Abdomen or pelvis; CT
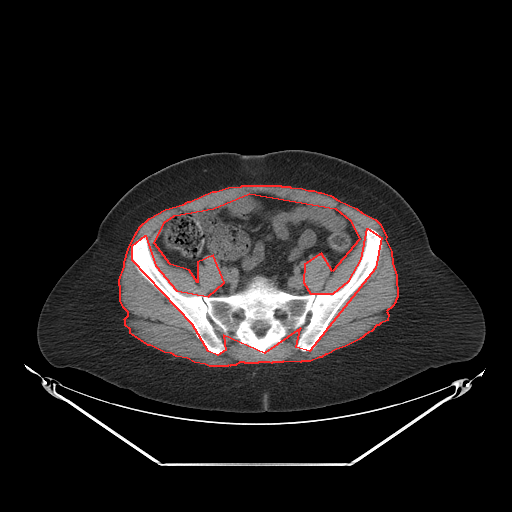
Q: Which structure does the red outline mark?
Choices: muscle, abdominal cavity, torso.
A: red: muscle.
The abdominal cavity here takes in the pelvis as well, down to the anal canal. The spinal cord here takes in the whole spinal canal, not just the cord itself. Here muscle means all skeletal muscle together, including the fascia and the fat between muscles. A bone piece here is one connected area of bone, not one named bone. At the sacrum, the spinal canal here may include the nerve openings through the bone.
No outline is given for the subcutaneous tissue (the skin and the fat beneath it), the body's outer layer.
{"muscle":[{"outer":[[242,185],[280,185],[281,186],[289,186],[290,187],[302,188],[308,190],[314,190],[318,192],[321,192],[330,195],[338,200],[356,208],[361,212],[375,219],[380,224],[386,237],[385,239],[391,251],[392,263],[396,275],[397,297],[395,300],[395,302],[392,306],[386,311],[388,314],[387,320],[380,323],[378,325],[376,325],[371,331],[368,332],[359,339],[345,346],[336,349],[327,354],[325,354],[321,357],[319,357],[310,361],[301,361],[300,362],[283,361],[282,362],[272,362],[271,363],[269,362],[258,362],[257,363],[245,363],[244,362],[239,362],[235,365],[230,365],[229,366],[228,365],[227,366],[209,366],[205,364],[194,362],[187,358],[176,356],[171,353],[164,352],[150,345],[148,345],[130,333],[130,329],[125,325],[125,320],[124,319],[128,315],[128,312],[124,308],[120,301],[120,286],[119,285],[119,280],[124,266],[124,262],[128,249],[135,234],[140,226],[149,218],[165,209],[183,204],[188,201],[190,201],[212,191],[216,191],[228,187],[241,186]],"hole":[[249,193],[335,208],[350,220],[359,239],[332,271],[321,253],[304,264],[303,282],[310,293],[333,293],[349,280],[361,259],[367,228],[381,237],[375,268],[309,351],[296,347],[300,328],[264,353],[223,335],[225,350],[217,355],[208,351],[192,324],[132,260],[132,245],[145,235],[155,265],[176,290],[208,296],[224,282],[213,255],[197,262],[197,282],[189,270],[170,264],[154,243],[164,222],[174,215],[213,208]]}],"bones":[{"outer":[[367,228],[381,237],[377,264],[309,351],[296,347],[300,328],[291,330],[264,353],[223,335],[225,350],[217,355],[208,351],[192,324],[137,270],[131,257],[132,245],[145,235],[155,265],[187,296],[229,296],[258,275],[294,295],[333,293],[355,271]],"holes":[[[258,322],[260,322],[262,324],[265,324],[266,325],[267,325],[268,326],[267,327],[267,328],[266,329],[266,330],[265,331],[265,333],[262,336],[258,336],[255,333],[255,332],[254,331],[254,330],[253,329],[253,326],[256,323],[257,323]],[[238,308],[240,308],[241,309],[242,309],[242,310],[243,311],[243,314],[244,315],[244,317],[243,318],[243,319],[240,321],[238,321],[237,320],[234,319],[234,318],[233,317],[233,314],[234,313],[234,312],[236,310],[236,309],[237,309]],[[279,308],[280,308],[281,309],[282,309],[283,310],[284,310],[285,311],[286,311],[286,312],[287,313],[287,315],[286,316],[286,317],[283,319],[278,319],[277,318],[276,318],[274,315],[274,314],[275,313],[275,312],[277,310],[277,309],[278,309]]]}],"abdominal_cavity":[[[249,193],[335,208],[350,220],[359,239],[332,271],[324,254],[310,256],[303,268],[310,293],[306,295],[287,292],[258,274],[232,294],[211,296],[208,292],[224,282],[213,255],[197,262],[197,282],[189,270],[170,264],[154,243],[174,215],[213,208]]],"torso":[[[284,149],[317,151],[349,161],[387,182],[406,200],[424,225],[433,252],[480,304],[486,334],[476,356],[428,368],[352,401],[259,413],[195,409],[148,399],[86,371],[55,367],[44,358],[36,327],[48,294],[90,246],[103,218],[130,188],[196,155]]],"spinal_cord":[[[258,322],[260,322],[262,324],[265,324],[266,325],[267,325],[268,326],[267,327],[267,328],[266,329],[266,330],[265,331],[265,333],[262,336],[258,336],[255,333],[255,332],[254,331],[254,330],[253,329],[253,326],[256,323],[257,323]],[[238,308],[240,308],[241,309],[242,309],[242,310],[243,311],[243,314],[244,315],[244,317],[243,318],[243,319],[240,321],[238,321],[237,320],[234,319],[234,318],[233,317],[233,314],[234,313],[234,312],[236,310],[236,309],[237,309]],[[279,308],[280,308],[281,309],[282,309],[283,310],[284,310],[285,311],[286,311],[286,312],[287,313],[287,315],[286,316],[286,317],[283,319],[278,319],[277,318],[276,318],[274,315],[274,314],[275,313],[275,312],[277,310],[277,309],[278,309]]]}